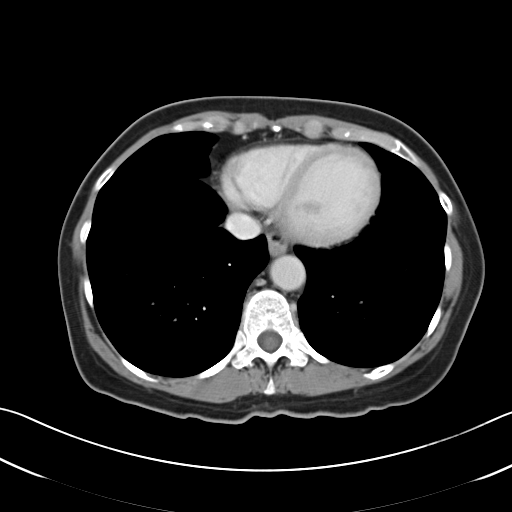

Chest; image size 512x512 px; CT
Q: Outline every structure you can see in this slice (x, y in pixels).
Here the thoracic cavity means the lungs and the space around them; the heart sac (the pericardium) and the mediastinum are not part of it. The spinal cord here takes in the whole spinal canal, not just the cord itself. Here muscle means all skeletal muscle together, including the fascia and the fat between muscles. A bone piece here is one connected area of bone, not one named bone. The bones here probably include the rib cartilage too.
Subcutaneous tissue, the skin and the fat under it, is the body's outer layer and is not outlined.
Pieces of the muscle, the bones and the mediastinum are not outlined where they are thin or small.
A: Outlines:
spinal cord: 267 330; 271 330; 272 331; 274 331; 276 333; 277 333; 280 336; 281 338; 281 342; 278 346; 278 347; 275 350; 271 352; 269 352; 263 349; 260 346; 258 342; 258 338; 259 336; 263 332
muscle 1: 92 187; 97 193; 92 214; 82 223; 78 236; 85 246; 88 274; 82 280; 83 293; 101 329; 119 353; 121 363; 148 382; 158 381; 150 374; 173 378; 194 375; 204 379; 229 363; 238 370; 251 367; 255 358; 261 359; 269 370; 281 357; 286 357; 290 366; 302 368; 308 356; 321 364; 332 361; 370 369; 362 374; 366 379; 385 376; 421 338; 428 338; 440 321; 439 302; 445 274; 452 266; 452 250; 445 241; 447 216; 453 213; 451 199; 459 217; 456 232; 463 255; 460 293; 436 345; 400 372; 377 383; 316 396; 274 394; 274 379; 269 375; 262 394; 239 396; 224 403; 149 389; 117 373; 85 336; 70 243
muscle 2: 209 110; 221 110; 237 113; 259 113; 269 119; 276 119; 289 115; 314 114; 354 123; 355 124; 376 131; 377 131; 380 131; 387 133; 392 136; 385 133; 382 133; 373 130; 351 130; 341 126; 336 126; 333 127; 330 131; 333 137; 329 136; 322 137; 324 131; 324 125; 320 121; 315 119; 310 120; 304 124; 302 133; 292 129; 283 128; 280 124; 277 123; 272 124; 269 128; 258 128; 259 123; 256 119; 253 120; 250 124; 250 127; 253 130; 248 131; 247 125; 240 119; 231 122; 226 117; 221 115; 209 115; 201 120; 198 119; 185 120; 176 122; 166 127; 159 135; 152 138; 134 151; 118 167; 117 165; 108 166; 120 154; 148 131; 156 127; 170 123; 179 118
muscle 3: 413 152; 414 152; 420 158; 421 158; 432 170; 432 171; 436 176; 443 190; 441 189; 439 189; 436 191; 434 189; 433 186; 431 184; 429 180; 420 170; 419 168; 421 167; 421 161; 419 159; 419 158
thoracic cavity 1: 191 131; 211 132; 216 137; 207 155; 210 170; 203 180; 227 209; 218 226; 238 240; 263 235; 268 259; 245 291; 240 322; 229 351; 193 375; 173 377; 149 373; 135 365; 107 337; 95 311; 86 243; 98 192; 119 166; 160 135
thoracic cavity 2: 360 142; 377 145; 418 168; 436 192; 446 215; 443 285; 426 330; 415 345; 401 357; 372 368; 345 365; 318 352; 300 328; 297 310; 297 302; 306 287; 307 272; 295 252; 295 247; 331 250; 351 242; 370 223; 380 204; 381 172
torso: 210 95; 293 96; 371 107; 411 126; 440 155; 477 228; 485 277; 457 355; 431 391; 410 403; 357 416; 255 415; 242 423; 228 424; 178 418; 122 402; 84 382; 72 357; 57 276; 58 240; 66 212; 91 166; 133 121; 159 106
mediastinum: 258 129; 275 133; 288 129; 300 133; 304 136; 310 139; 319 139; 323 137; 329 137; 359 142; 361 146; 341 141; 319 141; 300 137; 268 138; 228 153; 221 165; 218 187; 223 198; 234 209; 273 226; 288 243; 301 245; 293 249; 306 272; 305 287; 296 302; 299 328; 294 325; 288 300; 275 289; 260 289; 244 302; 249 285; 268 262; 267 240; 263 234; 238 239; 220 227; 228 209; 204 180; 211 170; 208 155; 217 140; 212 132; 242 135
bones 1: 263 289; 275 290; 285 297; 293 325; 300 329; 308 343; 330 362; 321 363; 308 355; 304 366; 292 366; 286 356; 281 356; 269 369; 261 358; 255 357; 251 366; 238 369; 229 362; 213 375; 195 377; 230 351; 241 322; 244 303; inner edge: 267 330; 271 330; 272 331; 274 331; 276 333; 277 333; 280 336; 281 338; 281 342; 278 346; 278 347; 275 350; 271 352; 269 352; 263 349; 260 346; 258 342; 258 338; 259 336; 263 332
bones 2: 336 127; 341 127; 345 129; 348 129; 351 131; 373 131; 396 138; 400 140; 409 148; 418 158; 420 161; 420 167; 417 167; 406 159; 377 144; 367 141; 353 141; 352 140; 345 140; 344 139; 335 138; 332 135; 331 131; 333 128
bones 3: 209 116; 221 116; 226 118; 231 123; 237 120; 240 120; 246 125; 247 131; 245 133; 234 134; 231 132; 231 128; 229 127; 224 131; 191 130; 190 131; 161 134; 166 128; 176 123; 185 121; 196 121; 197 120; 201 121; 206 119
bones 4: 395 361; 395 364; 392 370; 391 370; 385 375; 377 379; 370 379; 369 378; 366 378; 363 376; 363 374; 364 373; 366 373; 368 372; 371 369; 375 367; 377 367; 378 366; 381 366; 382 365; 384 365; 388 363; 391 363
bones 5: 315 120; 316 121; 318 121; 319 122; 320 122; 323 125; 323 131; 321 134; 321 137; 320 137; 319 138; 310 138; 303 134; 303 130; 304 129; 304 126; 305 125; 305 124; 306 124; 308 122; 309 122; 310 121; 314 121
bones 6: 120 354; 129 362; 130 362; 135 366; 138 367; 140 369; 145 371; 152 377; 155 378; 157 380; 157 381; 156 382; 148 381; 143 378; 141 378; 137 376; 134 373; 130 371; 122 363; 122 362; 120 360; 120 358; 119 357; 119 355
bones 7: 110 166; 117 166; 117 168; 115 170; 115 171; 112 174; 112 175; 108 179; 108 180; 101 187; 101 188; 97 192; 95 192; 93 190; 93 186; 94 185; 94 184; 95 183; 96 180; 98 178; 98 177; 108 167; 109 167
bones 8: 438 305; 440 305; 440 306; 441 307; 441 315; 440 316; 439 321; 436 325; 435 328; 431 333; 431 334; 428 337; 427 337; 426 338; 423 338; 422 337; 426 332; 426 331; 427 330; 427 328; 429 325; 429 323; 430 322
bones 9: 439 190; 441 190; 442 191; 443 191; 449 197; 449 198; 451 201; 451 204; 452 205; 452 213; 450 215; 447 215; 446 214; 445 211; 443 209; 443 208; 439 201; 439 198; 438 197; 438 195; 437 194; 437 191; 438 191
bones 10: 86 276; 88 276; 89 278; 89 281; 91 285; 91 291; 92 292; 92 295; 93 296; 93 306; 94 307; 94 309; 92 309; 90 307; 86 299; 86 297; 84 293; 84 288; 83 287; 83 280
pericardium: 292 138; 356 145; 363 148; 375 162; 380 172; 381 192; 379 204; 369 223; 350 241; 329 248; 315 248; 297 243; 292 244; 273 225; 264 224; 257 215; 249 211; 234 208; 224 198; 219 187; 219 179; 222 165; 228 154; 257 141